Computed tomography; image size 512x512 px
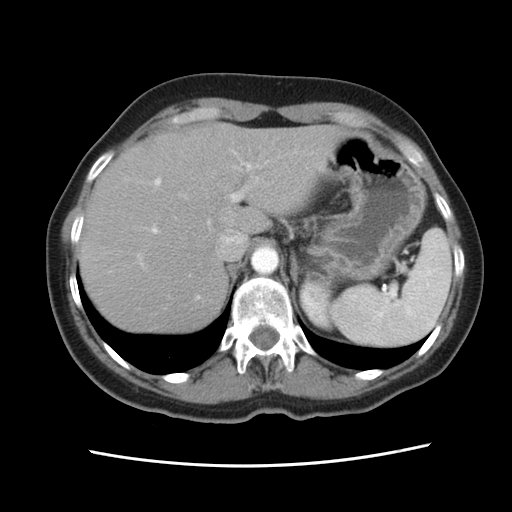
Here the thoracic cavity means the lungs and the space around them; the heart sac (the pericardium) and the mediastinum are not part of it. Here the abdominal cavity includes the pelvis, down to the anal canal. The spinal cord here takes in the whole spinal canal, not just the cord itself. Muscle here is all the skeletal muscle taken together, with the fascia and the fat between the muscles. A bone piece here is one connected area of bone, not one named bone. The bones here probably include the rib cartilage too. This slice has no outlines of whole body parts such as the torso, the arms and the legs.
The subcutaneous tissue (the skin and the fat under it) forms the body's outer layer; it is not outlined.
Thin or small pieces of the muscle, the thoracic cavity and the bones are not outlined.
{"spinal_cord":[[[258,326],[269,326],[270,327],[273,328],[278,333],[278,334],[279,335],[278,340],[271,347],[270,347],[267,349],[261,349],[260,348],[257,347],[250,340],[250,339],[249,338],[249,336],[250,335],[250,334],[253,331],[253,330],[256,327],[257,327]]],"mediastinum":[[[267,245],[270,246],[272,249],[276,251],[280,257],[280,269],[285,282],[285,287],[281,282],[271,277],[267,277],[266,276],[252,276],[249,278],[246,278],[236,287],[237,280],[244,267],[244,265],[249,255],[258,247],[260,246],[266,246]]],"abdominal_cavity":[[[264,112],[294,122],[367,128],[417,168],[445,221],[453,254],[448,301],[427,335],[381,348],[314,333],[295,319],[281,257],[268,244],[248,255],[225,308],[197,332],[129,333],[94,308],[77,269],[78,242],[92,184],[112,158],[163,126],[242,122]]],"bones":[{"outer":[[252,277],[271,278],[283,285],[291,302],[293,319],[318,355],[299,350],[295,354],[292,371],[286,369],[278,355],[271,358],[266,370],[259,358],[254,357],[248,362],[245,371],[239,373],[232,349],[217,350],[227,326],[231,323],[233,294],[244,280]],"hole":[[258,326],[269,326],[270,327],[273,328],[278,333],[278,334],[279,335],[278,340],[271,347],[270,347],[267,349],[261,349],[260,348],[257,347],[250,340],[250,339],[249,338],[249,336],[250,335],[250,334],[253,331],[253,330],[256,327],[257,327]]},[[212,106],[213,107],[217,107],[221,110],[220,115],[219,117],[217,118],[198,119],[186,123],[178,123],[177,124],[169,124],[168,125],[163,125],[162,123],[162,121],[164,119],[175,114],[178,114],[184,111],[188,111],[192,108],[195,107],[211,107]],[[338,111],[349,111],[350,112],[351,111],[352,112],[355,112],[357,114],[361,116],[368,123],[368,126],[367,127],[353,126],[352,125],[347,125],[346,124],[339,123],[336,121],[333,121],[331,118],[331,115],[330,114],[331,113],[337,112]],[[399,140],[402,140],[403,141],[405,141],[409,143],[420,153],[424,161],[423,163],[423,165],[421,167],[417,167],[411,162],[410,162],[404,155],[404,154],[402,153],[401,151],[400,151],[400,150],[397,147],[397,145],[396,144]],[[108,150],[112,150],[114,153],[114,154],[111,158],[111,159],[106,164],[106,165],[101,170],[101,171],[95,177],[95,178],[92,181],[87,181],[86,178],[87,177],[88,172],[89,171],[91,166],[94,163],[94,162],[104,152],[105,152]],[[456,244],[457,245],[458,245],[462,249],[462,251],[463,252],[463,254],[464,255],[464,267],[463,268],[463,272],[462,273],[462,275],[459,277],[457,277],[456,276],[455,276],[455,275],[454,274],[454,254],[453,253],[453,246]],[[438,322],[440,322],[441,323],[441,327],[440,328],[440,330],[439,331],[438,335],[436,337],[435,340],[433,342],[431,346],[422,355],[417,357],[415,355],[415,353],[423,344],[429,334],[432,331],[432,330],[434,329],[436,324],[437,324]],[[72,272],[75,272],[76,273],[76,281],[77,282],[77,287],[78,288],[79,296],[80,297],[80,300],[81,301],[81,304],[83,309],[80,309],[76,305],[72,297],[72,294],[71,293],[71,290],[69,285],[69,277],[70,276],[70,274]],[[435,192],[437,192],[441,196],[442,196],[443,198],[446,201],[450,209],[450,211],[452,215],[452,217],[451,219],[449,220],[445,220],[444,219],[435,201],[435,199],[433,195],[433,194]],[[80,213],[83,214],[83,222],[82,223],[82,226],[81,227],[81,231],[80,232],[80,234],[79,235],[79,238],[78,239],[78,241],[76,243],[73,243],[71,241],[71,227],[72,226],[72,224],[73,223],[73,221],[74,220],[76,215],[77,215]],[[103,340],[106,343],[107,343],[123,359],[124,359],[128,363],[129,363],[130,364],[130,369],[127,369],[126,368],[125,368],[123,366],[120,365],[110,356],[110,355],[107,352],[107,351],[104,348],[104,347],[103,346],[103,344],[102,343],[102,341]]],"thoracic_cavity":[[[77,270],[85,295],[93,308],[106,322],[122,332],[136,335],[158,336],[194,334],[205,329],[215,321],[222,314],[231,298],[229,322],[216,350],[200,364],[186,371],[175,371],[163,374],[144,371],[123,358],[102,339],[96,331],[82,304],[77,281]],[[299,320],[311,332],[322,338],[343,344],[363,348],[380,348],[381,349],[400,348],[410,344],[413,344],[427,336],[418,349],[401,362],[387,368],[375,367],[359,370],[342,366],[320,355],[314,349],[308,340],[302,327],[298,322]]],"muscle":[[[200,97],[223,97],[275,107],[314,101],[347,103],[370,111],[421,148],[450,200],[467,266],[453,327],[423,364],[359,396],[315,400],[272,390],[243,400],[200,404],[136,386],[109,369],[76,335],[62,290],[60,232],[87,173],[85,179],[92,183],[85,211],[75,215],[70,227],[70,241],[77,243],[77,258],[76,271],[69,274],[68,285],[72,300],[84,310],[103,348],[127,370],[132,365],[160,375],[168,383],[184,383],[190,377],[188,370],[216,351],[231,349],[239,374],[246,371],[254,358],[266,371],[276,356],[292,372],[296,354],[302,351],[358,370],[353,376],[369,381],[413,354],[417,358],[422,356],[439,335],[454,277],[459,278],[464,272],[465,255],[458,244],[452,246],[446,224],[453,217],[451,209],[442,195],[432,192],[418,170],[425,161],[413,145],[402,139],[394,145],[369,129],[369,123],[351,110],[331,112],[331,120],[294,121],[276,111],[264,111],[241,121],[220,117],[222,110],[212,105],[195,106],[164,118],[161,127],[144,133],[114,155],[112,149],[104,151],[157,112]]]}